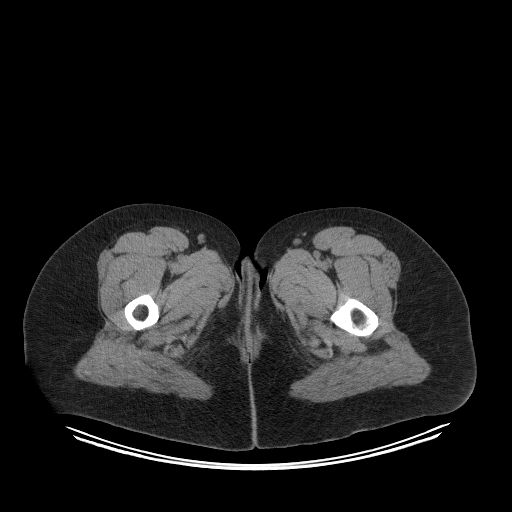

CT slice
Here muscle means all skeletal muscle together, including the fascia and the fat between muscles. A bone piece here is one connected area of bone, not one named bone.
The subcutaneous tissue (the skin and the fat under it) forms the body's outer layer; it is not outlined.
The muscle appears in 2 outlined pieces: piece 1: [[156,225],[177,227],[198,249],[216,250],[231,268],[234,277],[227,305],[203,331],[189,364],[214,386],[214,393],[207,400],[153,393],[142,388],[99,385],[78,379],[73,373],[74,366],[104,324],[97,307],[96,263],[100,252],[124,232]], around a hole outlined by [[144,293],[149,293],[153,298],[154,301],[158,305],[158,308],[159,309],[159,317],[158,318],[158,320],[153,325],[147,328],[142,329],[141,330],[135,330],[133,329],[133,328],[128,323],[124,315],[124,307],[125,305],[130,300]]; piece 2: [[339,225],[362,228],[381,237],[397,255],[401,272],[393,320],[431,365],[431,372],[415,385],[381,387],[338,400],[309,402],[288,394],[290,383],[308,372],[307,364],[297,349],[288,321],[272,301],[269,277],[274,263],[288,248],[297,247],[321,229]] with a hole at [[348,297],[355,298],[359,300],[368,307],[369,307],[377,315],[379,324],[376,329],[369,336],[367,336],[366,337],[365,336],[356,336],[355,335],[350,334],[347,331],[338,327],[331,321],[330,321],[329,317],[332,312],[338,305],[342,304]]. The torso is outlined by [[141,202],[189,208],[222,221],[240,245],[239,273],[241,258],[251,256],[261,236],[290,215],[361,206],[398,218],[445,260],[466,297],[477,365],[471,393],[446,414],[320,443],[242,451],[54,412],[24,363],[22,320],[31,287],[73,233],[112,208]] with a hole at [[263,271],[265,271],[265,277],[264,278],[264,280],[263,281],[263,283],[262,284],[262,285],[261,285],[261,273]]. The bones appear in 2 outlined pieces: piece 1: [[348,297],[355,298],[359,300],[368,307],[369,307],[377,315],[379,324],[376,329],[369,336],[367,336],[366,337],[365,336],[356,336],[355,335],[350,334],[347,331],[338,327],[331,321],[330,321],[329,317],[332,312],[338,305],[342,304]]; piece 2: [[144,293],[149,293],[153,298],[154,301],[158,305],[158,308],[159,309],[159,317],[158,318],[158,320],[153,325],[147,328],[142,329],[141,330],[135,330],[133,329],[133,328],[128,323],[124,315],[124,307],[125,305],[130,300]].